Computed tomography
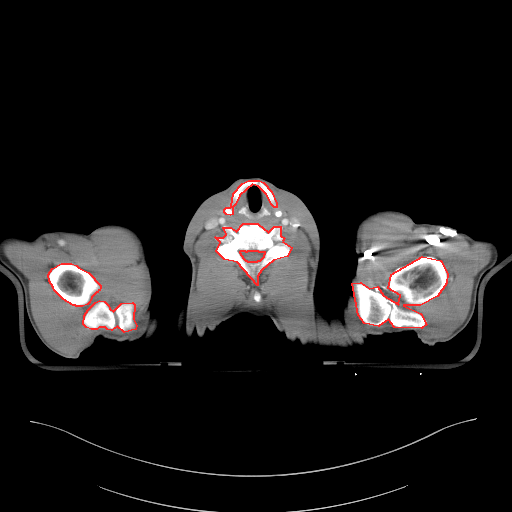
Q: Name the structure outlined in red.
A: red: bones.
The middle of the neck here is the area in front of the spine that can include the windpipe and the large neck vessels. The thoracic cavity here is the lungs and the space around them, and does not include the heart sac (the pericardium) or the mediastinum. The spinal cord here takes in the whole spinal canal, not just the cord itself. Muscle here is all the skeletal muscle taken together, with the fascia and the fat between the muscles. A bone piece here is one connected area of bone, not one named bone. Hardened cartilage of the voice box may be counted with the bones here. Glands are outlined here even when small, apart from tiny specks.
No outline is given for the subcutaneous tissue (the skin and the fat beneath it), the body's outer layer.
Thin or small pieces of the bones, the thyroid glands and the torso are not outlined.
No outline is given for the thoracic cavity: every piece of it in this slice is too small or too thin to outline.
{"bones":[[[422,256],[440,260],[447,273],[446,283],[437,296],[420,305],[403,305],[420,313],[426,324],[421,328],[394,327],[388,319],[378,326],[364,323],[358,315],[352,283],[360,282],[369,288],[377,286],[383,295],[398,304],[400,295],[388,288],[391,274]],{"outer":[[243,223],[257,223],[268,232],[274,226],[280,226],[280,235],[284,238],[282,241],[291,247],[287,256],[273,260],[261,270],[257,276],[257,285],[237,262],[224,259],[216,251],[220,242],[215,237],[223,237],[226,234],[223,227],[230,227],[236,231]],"hole":[[241,250],[244,250],[245,251],[247,251],[248,250],[257,250],[258,251],[264,251],[264,254],[263,255],[263,257],[259,261],[257,261],[256,262],[248,262],[247,261],[246,261],[243,258],[243,257],[241,255],[241,254],[240,253],[240,251]]},[[61,263],[71,263],[76,265],[78,267],[88,272],[100,285],[100,288],[99,290],[98,290],[97,292],[96,292],[91,297],[89,302],[87,304],[82,306],[76,306],[75,305],[73,305],[63,299],[54,290],[53,287],[49,281],[48,274],[52,268]],[[99,300],[104,301],[108,305],[109,308],[113,311],[121,303],[132,302],[134,304],[133,319],[136,325],[135,329],[124,332],[117,326],[111,330],[107,329],[105,327],[99,327],[96,329],[91,329],[86,327],[83,324],[84,315],[88,309],[95,302]],[[248,180],[259,180],[263,182],[271,191],[276,203],[276,207],[274,207],[272,205],[266,194],[258,186],[252,184],[239,195],[235,204],[232,207],[232,214],[230,215],[226,214],[224,212],[224,209],[226,207],[230,207],[231,206],[233,193],[242,183]]],"right_arm":[[[104,224],[125,225],[141,238],[151,276],[150,309],[157,315],[161,330],[149,339],[134,341],[116,341],[98,336],[77,358],[63,357],[46,347],[35,333],[26,313],[21,281],[0,260],[0,239],[8,235],[31,239],[43,232],[56,230],[88,234]]],"head_and_neck":[[[250,177],[263,178],[276,186],[297,195],[311,212],[320,237],[320,256],[313,273],[294,300],[274,322],[267,316],[258,317],[248,313],[239,313],[232,316],[216,306],[191,279],[191,263],[182,248],[187,225],[199,204],[208,196],[226,188],[236,179]]],"muscle":[{"outer":[[242,181],[223,209],[225,222],[282,222],[264,183],[295,198],[311,219],[307,290],[317,322],[346,327],[354,297],[364,324],[378,327],[388,320],[392,327],[321,339],[292,330],[291,316],[274,306],[194,306],[198,260],[188,245],[191,225],[209,200]],"holes":[[[243,223],[257,223],[268,232],[274,226],[280,226],[280,235],[284,238],[282,241],[291,247],[287,256],[273,260],[261,270],[257,276],[257,285],[237,262],[224,259],[216,251],[220,242],[215,237],[223,237],[226,234],[223,227],[230,227],[236,231]],[[256,290],[258,290],[259,291],[259,292],[261,294],[261,300],[259,302],[257,302],[256,301],[255,301],[254,300],[254,299],[253,298],[253,296],[254,295],[254,293],[255,292],[255,291]]]},{"outer":[[108,227],[127,230],[138,243],[137,261],[148,289],[143,328],[126,332],[137,326],[132,301],[113,310],[99,299],[87,309],[82,324],[123,332],[98,331],[74,353],[64,353],[38,328],[28,282],[4,246],[14,241],[32,244],[51,235],[89,239]],"hole":[[61,263],[71,263],[76,265],[78,267],[88,272],[100,285],[100,288],[99,290],[98,290],[97,292],[96,292],[91,297],[89,302],[87,304],[82,306],[76,306],[75,305],[73,305],[63,299],[54,290],[53,287],[49,281],[48,274],[52,268]]},[[382,213],[399,214],[414,228],[452,229],[489,246],[466,317],[449,334],[426,337],[420,329],[427,320],[404,306],[423,305],[442,292],[448,273],[437,257],[418,256],[391,272],[387,288],[399,295],[398,303],[377,285],[356,280],[364,256],[362,225]]],"spinal_cord":[[[241,250],[244,250],[245,251],[247,251],[248,250],[257,250],[258,251],[264,251],[264,254],[263,255],[263,257],[259,261],[257,261],[256,262],[248,262],[247,261],[246,261],[243,258],[243,257],[241,255],[241,254],[240,253],[240,251]]],"middle_of_the_neck":[[[252,185],[258,187],[265,194],[274,208],[277,207],[277,203],[279,209],[276,208],[273,214],[278,218],[282,216],[282,221],[266,221],[261,219],[256,221],[239,219],[228,221],[224,220],[223,218],[225,214],[228,216],[233,214],[233,207],[240,195]]],"thyroid_glands":[[[220,210],[221,211],[221,212],[222,213],[222,214],[221,214],[220,214],[219,213],[218,213],[219,212],[220,211]]],"left_arm":[[[384,209],[401,211],[416,223],[451,226],[473,238],[488,239],[497,245],[497,261],[478,283],[470,321],[448,341],[428,345],[413,331],[406,331],[370,335],[363,346],[357,346],[349,336],[343,306],[357,264],[354,249],[356,227],[366,215]]],"torso":[[[319,260],[315,290],[317,305],[320,311],[327,317],[333,314],[340,317],[342,315],[342,310],[346,322],[348,336],[356,346],[354,347],[322,347],[316,345],[302,345],[298,341],[291,342],[283,333],[277,329],[274,324],[291,305],[309,281],[318,265]],[[191,280],[199,290],[216,307],[232,317],[222,322],[213,331],[207,330],[202,337],[199,337],[194,332],[188,338],[186,336],[183,329],[177,335],[175,329],[175,325],[176,324],[178,312],[182,304],[186,301],[189,291],[190,281]]]}